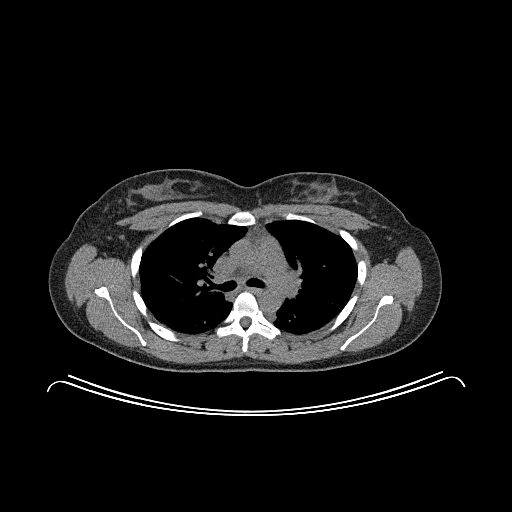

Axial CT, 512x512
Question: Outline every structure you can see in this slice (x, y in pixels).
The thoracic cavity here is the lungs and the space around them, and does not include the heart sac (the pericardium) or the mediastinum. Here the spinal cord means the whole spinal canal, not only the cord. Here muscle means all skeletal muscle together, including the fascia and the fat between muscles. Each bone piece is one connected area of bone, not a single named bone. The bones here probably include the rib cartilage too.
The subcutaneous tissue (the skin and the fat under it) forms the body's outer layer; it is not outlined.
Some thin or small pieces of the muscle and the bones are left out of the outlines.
Answer: The thoracic cavity appears in 2 outlined pieces: piece 1: 200,217 218,223 226,222 229,225 246,227 246,231 217,258 213,265 216,281 221,285 219,290 227,301 232,302 229,312 213,329 198,333 180,333 158,322 148,310 140,293 140,263 144,250 164,230 184,220; piece 2: 280,219 308,222 319,225 337,234 350,247 356,261 356,282 346,303 331,321 318,329 306,333 296,334 282,331 265,316 274,317 276,315 288,293 290,274 292,272 292,268 286,259 281,244 266,228 267,223. The bones appear in 12 outlined pieces: piece 1: 244,291 251,293 255,297 258,307 265,318 282,332 281,335 278,335 273,339 269,339 258,333 253,333 247,342 246,352 242,351 242,338 240,336 229,334 218,337 214,331 214,329 222,323 230,312 236,297; inner edge: 243,317 248,317 250,319 250,323 249,324 249,325 247,327 243,327 241,325 241,324 240,323 240,320 241,319 241,318 242,318; piece 2: 101,286 105,286 107,288 114,308 118,314 128,324 134,327 141,334 143,339 146,342 146,345 144,346 142,345 137,335 130,329 123,325 115,316 112,311 109,302 104,297 98,296 94,292 94,290 96,288; piece 3: 386,294 389,294 393,296 393,301 392,303 385,304 381,306 378,310 378,313 375,320 361,334 354,338 346,346 345,349 343,351 340,350 341,345 350,336 356,333 365,325 366,325 373,317 376,307 381,297; piece 4: 354,294 357,294 358,295 358,297 353,306 353,308 347,317 336,328 332,331 329,331 328,332 327,331 328,330 328,328 330,326 330,324 331,323 330,322 334,319 334,318 340,312 340,311 347,303 351,296; piece 5: 242,210 248,210 253,215 255,216 256,218 256,222 254,224 252,224 251,225 248,225 247,226 240,226 239,225 234,225 233,224 229,224 227,223 227,220 234,213 238,211 241,211; piece 6: 148,319 152,321 154,321 157,323 159,323 165,326 167,328 171,329 173,331 177,333 177,335 181,339 181,340 180,341 172,341 171,340 168,340 167,339 165,339 161,337 159,335 158,335 149,326 148,324; piece 7: 139,244 142,244 142,249 143,250 143,251 142,252 141,259 140,260 140,262 139,263 139,268 138,269 138,274 135,278 133,278 132,277 132,275 131,274 131,256 132,255 132,253 134,251 135,248; piece 8: 339,229 343,229 344,230 345,230 346,231 347,231 348,232 349,232 354,237 354,238 356,240 356,242 357,243 357,250 356,251 355,251 354,252 353,251 353,250 351,248 351,247 338,234 338,230; piece 9: 134,289 136,289 138,291 138,292 140,294 140,295 141,296 141,297 147,308 147,314 148,315 147,316 147,317 145,317 141,313 141,312 137,307 137,306 134,301 134,299 133,298 133,295 132,294 132,291; piece 10: 199,209 200,209 203,213 202,216 200,216 199,217 192,217 191,218 184,219 181,221 179,221 175,223 173,225 169,227 167,227 167,225 172,220 180,216 182,214 184,214 185,213 189,213 190,212 193,212; piece 11: 282,212 291,212 295,214 304,215 305,216 307,216 311,218 318,224 316,224 315,223 312,223 311,222 309,222 308,221 305,221 304,220 299,220 298,219 284,219 282,218 282,217 280,215 280,213; piece 12: 360,259 362,259 365,262 365,264 366,265 366,275 365,276 365,279 364,280 364,282 363,283 363,284 362,285 359,285 359,284 357,282 357,262. The mediastinum is outlined by 261,220 272,220 266,223 265,228 280,244 285,259 291,268 287,293 274,316 264,315 256,297 249,291 240,292 233,302 227,300 220,290 222,285 217,281 214,271 214,265 218,258 246,233 248,226 254,225. The torso is outlined by 166,168 204,170 244,186 298,171 336,173 370,185 421,228 435,248 442,288 431,322 415,341 395,353 353,365 310,372 166,371 122,359 78,338 59,319 48,290 49,268 56,249 81,212 112,185 135,174. The muscle appears in 2 outlined pieces: piece 1: 268,203 331,205 362,215 374,224 355,235 373,265 403,247 414,250 423,285 395,335 357,352 299,363 244,355 187,364 108,340 75,315 64,277 74,252 89,243 108,257 126,262 130,256 131,277 139,280 139,292 131,291 133,301 145,318 148,311 153,316 156,321 148,318 147,324 165,340 180,342 178,333 213,330 218,338 240,337 246,353 253,334 273,340 283,332 306,334 329,323 326,331 332,332 358,300 359,295 352,294 356,283 362,286 366,279 366,262 357,261 354,254 357,240 343,228 335,233 291,211 280,212 279,219 257,221 249,210 with holes at 101,286 105,286 107,288 114,308 118,314 128,324 134,327 141,334 143,339 146,342 146,345 144,346 142,345 137,335 130,329 123,325 115,316 112,311 109,302 104,297 98,296 94,292 94,290 96,288 and at 386,294 389,294 393,296 393,301 392,303 385,304 381,306 378,310 378,313 375,320 361,334 354,338 346,346 345,349 343,351 340,350 341,345 350,336 356,333 365,325 366,325 373,317 376,307 381,297; piece 2: 191,200 224,202 235,205 241,210 234,212 226,221 222,222 204,217 204,213 200,208 182,213 172,219 165,229 145,249 143,249 142,243 138,244 144,235 143,231 133,230 128,225 117,223 148,207 163,203. The spinal cord is outlined by 243,317 248,317 250,319 250,323 249,324 249,325 247,327 243,327 241,325 241,324 240,323 240,320 241,319 241,318 242,318.